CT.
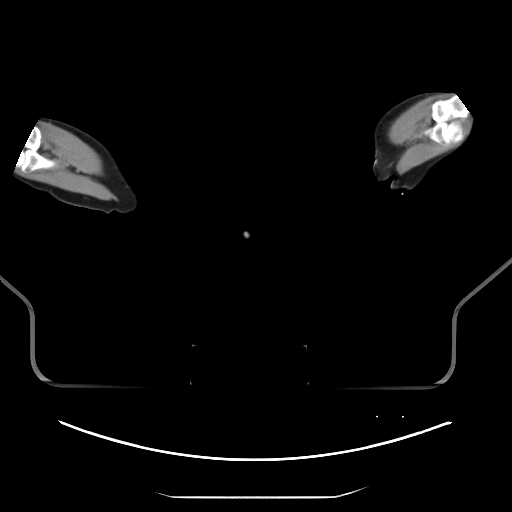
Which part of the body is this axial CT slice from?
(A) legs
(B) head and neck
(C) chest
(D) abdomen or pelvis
Answer: (B) head and neck
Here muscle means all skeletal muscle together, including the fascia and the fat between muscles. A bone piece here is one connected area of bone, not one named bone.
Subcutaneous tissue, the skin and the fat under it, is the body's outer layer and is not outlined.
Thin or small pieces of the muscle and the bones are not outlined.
{"muscle":[[[40,121],[50,122],[72,132],[97,151],[103,160],[104,177],[118,197],[117,201],[99,200],[69,192],[28,179],[15,172],[17,169],[22,172],[27,169],[31,172],[52,169],[57,165],[55,159],[46,157],[38,151],[42,139],[42,133],[37,125]],[[435,94],[451,94],[451,96],[443,99],[437,99],[431,104],[431,117],[434,124],[427,128],[424,133],[436,143],[460,143],[454,148],[432,158],[403,176],[392,174],[387,165],[396,158],[397,151],[389,142],[387,137],[387,129],[390,122],[415,102]]],"left_arm":[[[428,91],[452,91],[456,94],[468,109],[473,119],[473,126],[469,136],[461,147],[435,165],[414,188],[405,190],[403,193],[401,193],[399,190],[392,190],[390,188],[389,179],[384,183],[380,183],[373,173],[374,127],[380,116],[390,107],[410,96]]],"bones":[[[453,94],[456,94],[459,97],[468,109],[470,114],[467,118],[463,120],[463,129],[465,137],[463,141],[460,142],[450,143],[446,143],[443,141],[436,142],[425,133],[427,129],[435,124],[435,121],[432,117],[431,106],[435,101],[447,99],[451,97]],[[36,125],[41,133],[40,145],[37,151],[44,157],[55,160],[56,165],[52,168],[40,168],[32,171],[28,168],[27,168],[25,171],[22,171],[19,168],[15,169],[15,165],[18,159],[18,157],[21,151],[24,148],[24,145],[32,129],[34,126]]],"head_and_neck":[[[244,230],[245,230],[246,230],[247,230],[247,231],[248,232],[248,233],[248,234],[249,235],[249,236],[248,237],[247,238],[246,238],[245,238],[244,238],[243,237],[242,236],[242,235],[242,234],[242,233],[243,232],[243,231]]],"right_arm":[[[42,116],[57,119],[73,125],[90,134],[109,149],[117,160],[125,177],[137,196],[138,203],[134,211],[127,213],[120,213],[117,211],[105,213],[99,210],[71,205],[56,199],[47,192],[33,188],[13,177],[18,157],[24,148],[24,145],[32,129]]]}